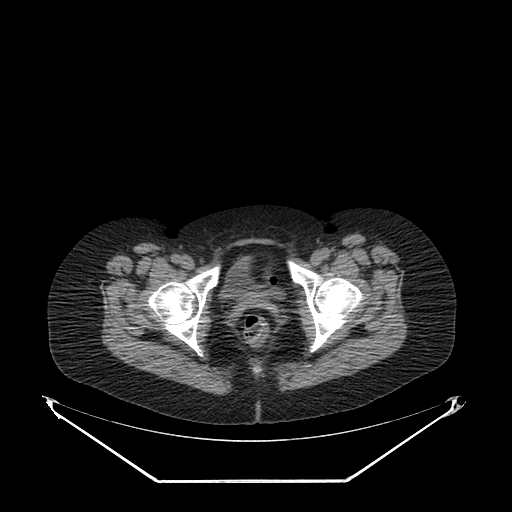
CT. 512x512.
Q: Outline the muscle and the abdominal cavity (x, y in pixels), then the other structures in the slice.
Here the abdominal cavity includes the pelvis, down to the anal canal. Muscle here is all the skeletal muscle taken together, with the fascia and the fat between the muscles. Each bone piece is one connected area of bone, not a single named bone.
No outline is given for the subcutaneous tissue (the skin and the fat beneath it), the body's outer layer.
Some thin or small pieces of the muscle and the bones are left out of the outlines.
A: {"muscle":[{"outer":[[355,232],[379,239],[401,258],[401,301],[407,334],[403,345],[391,356],[352,375],[281,392],[273,375],[269,377],[261,377],[253,375],[257,376],[258,375],[262,371],[259,365],[255,364],[251,372],[247,361],[236,349],[215,341],[208,349],[208,363],[235,368],[232,380],[235,390],[226,395],[217,395],[126,364],[112,355],[101,342],[102,276],[106,262],[125,246],[152,242],[176,249],[195,260],[219,246],[243,238],[291,242],[297,250],[305,252]],"holes":[[[248,244],[283,248],[326,279],[355,285],[360,293],[349,321],[310,352],[314,324],[304,289],[294,282],[298,305],[279,322],[264,354],[251,358],[207,335],[212,288],[197,326],[199,356],[164,328],[148,297],[165,282],[185,281],[220,263],[227,250]],[[299,323],[302,329],[303,345],[299,351],[299,354],[298,355],[298,361],[297,362],[295,362],[294,361],[287,361],[286,362],[277,362],[276,363],[271,363],[271,353],[275,348],[275,344],[278,339],[282,335],[286,329],[289,328],[294,324],[298,324]]]}],"abdominal_cavity":[[[248,244],[273,245],[285,249],[287,253],[285,263],[298,296],[298,305],[279,322],[260,358],[251,358],[239,347],[224,340],[215,340],[207,335],[211,326],[209,315],[212,312],[210,307],[212,306],[213,292],[219,283],[222,268],[222,255],[233,247]]],"torso":[[[254,204],[290,206],[320,218],[343,208],[381,207],[422,229],[445,260],[456,292],[454,345],[441,366],[355,409],[251,425],[162,415],[58,369],[48,345],[47,296],[60,262],[86,232],[110,219],[142,215],[165,219],[174,236],[201,216]]],"bones":[[[218,263],[221,264],[218,283],[210,289],[206,295],[205,303],[200,315],[201,321],[198,323],[197,326],[196,338],[199,346],[203,351],[203,356],[201,357],[184,341],[164,328],[147,300],[151,292],[156,290],[165,282],[185,281],[188,278],[205,271]],[[287,258],[307,269],[323,275],[326,279],[330,277],[345,278],[360,290],[358,300],[348,316],[349,321],[344,323],[340,328],[334,331],[314,352],[309,351],[309,347],[315,336],[312,316],[306,302],[304,289],[299,284],[295,283],[290,276],[286,263]]]}